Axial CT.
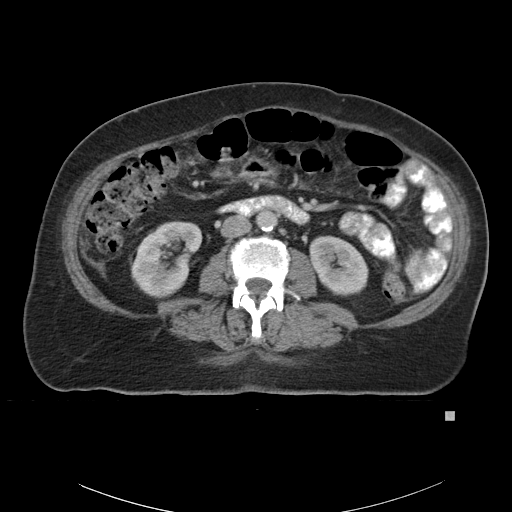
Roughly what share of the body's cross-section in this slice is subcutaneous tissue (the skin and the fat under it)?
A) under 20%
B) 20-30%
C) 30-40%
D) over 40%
C) 30-40%
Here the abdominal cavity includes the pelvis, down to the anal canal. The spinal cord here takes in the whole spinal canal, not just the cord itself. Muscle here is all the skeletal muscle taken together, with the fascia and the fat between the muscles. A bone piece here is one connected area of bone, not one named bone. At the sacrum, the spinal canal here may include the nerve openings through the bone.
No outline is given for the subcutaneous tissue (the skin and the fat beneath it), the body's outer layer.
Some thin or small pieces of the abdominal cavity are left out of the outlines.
bones: 259,236 278,239 286,245 290,260 284,285 295,292 300,300 286,293 281,311 269,309 261,317 261,337 256,339 251,336 252,319 250,314 244,308 235,308 232,305 232,288 236,281 228,261 228,254 239,239 with a hole at 252,278 261,278 262,279 265,279 266,280 267,280 270,282 270,286 269,287 269,288 264,293 264,295 263,296 252,296 251,295 251,292 248,289 248,288 246,285 246,282 249,279 251,279
torso: 251,81 314,84 381,101 431,127 465,159 483,196 489,255 469,354 461,372 442,389 419,395 262,392 132,395 102,389 58,391 46,386 28,362 22,314 41,215 65,158 94,128 128,110 176,95
abdominal cavity: 264,108 301,110 383,135 431,169 451,218 452,247 428,295 360,322 346,307 311,299 318,289 308,256 267,235 224,245 201,269 197,296 160,300 155,312 123,307 97,287 80,261 78,231 104,178 142,151
spinal cord: 252,278 261,278 262,279 265,279 266,280 267,280 270,282 270,286 269,287 269,288 264,293 264,295 263,296 252,296 251,295 251,292 248,289 248,288 246,285 246,282 249,279 251,279
muscle: 271,105 281,105 282,106 288,105 294,107 301,107 305,109 321,112 337,119 345,120 349,122 366,124 369,126 378,128 390,133 408,147 428,157 449,174 452,180 457,185 458,189 464,197 467,204 467,211 470,222 469,224 470,225 470,245 468,250 467,261 465,264 464,270 461,274 460,280 455,284 454,289 447,298 433,312 409,324 388,329 378,329 377,328 361,329 359,328 352,332 349,335 348,339 342,340 333,346 315,351 294,351 288,354 276,353 266,346 251,346 249,349 244,352 224,354 214,348 206,346 204,343 191,342 176,336 170,331 166,330 157,319 133,319 122,315 117,315 103,311 88,302 79,293 72,283 71,278 65,266 63,252 61,248 62,240 61,226 63,218 65,216 67,206 72,199 74,191 87,175 88,172 92,170 98,164 112,156 134,147 194,129 226,115 236,114 255,108 261,108 264,106, around a hole outlined by 264,108 383,135 431,169 452,247 428,295 360,322 311,299 314,269 289,246 284,285 300,300 286,293 256,339 250,314 232,305 228,245 201,269 197,296 160,300 155,312 97,287 78,231 104,178 142,151